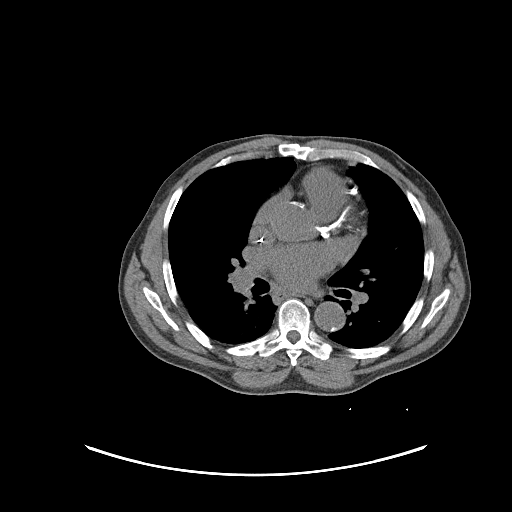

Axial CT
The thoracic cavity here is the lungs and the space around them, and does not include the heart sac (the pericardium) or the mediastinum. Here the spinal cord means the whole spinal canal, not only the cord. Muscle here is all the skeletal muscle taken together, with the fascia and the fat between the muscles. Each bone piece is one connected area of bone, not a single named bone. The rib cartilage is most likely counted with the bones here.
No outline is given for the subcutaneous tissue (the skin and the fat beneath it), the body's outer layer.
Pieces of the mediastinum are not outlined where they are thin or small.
torso: [[262,133],[346,136],[370,140],[395,151],[429,180],[461,234],[471,281],[471,298],[465,318],[455,336],[441,351],[421,363],[349,393],[252,395],[230,390],[202,375],[166,363],[138,341],[119,303],[118,276],[124,248],[155,193],[172,171],[203,148]]
muscle: [[264,137],[287,141],[277,145],[278,155],[265,156],[257,149],[226,155],[210,165],[185,188],[182,184],[179,185],[166,205],[162,229],[167,232],[168,257],[162,260],[162,276],[172,304],[177,307],[179,297],[191,319],[184,321],[190,334],[209,350],[215,347],[213,340],[229,345],[224,351],[238,357],[257,354],[266,358],[283,349],[289,364],[294,367],[303,351],[323,361],[335,350],[340,350],[350,359],[378,358],[392,348],[388,343],[380,344],[382,342],[400,326],[398,335],[401,336],[415,322],[424,305],[424,297],[417,296],[418,293],[423,279],[427,283],[430,281],[434,268],[434,251],[430,247],[424,247],[421,226],[427,221],[418,198],[408,188],[403,191],[377,163],[356,149],[301,144],[323,139],[355,144],[387,160],[426,194],[446,224],[456,247],[465,293],[453,322],[432,346],[410,358],[369,372],[340,388],[320,387],[309,383],[294,371],[271,386],[252,388],[239,385],[224,371],[174,355],[156,345],[146,335],[125,298],[124,277],[132,253],[156,209],[171,186],[192,166],[215,152]]; inner edges: [[144,286],[151,289],[159,296],[160,300],[162,303],[162,305],[166,313],[177,325],[177,326],[179,328],[179,330],[177,331],[173,329],[173,328],[165,320],[165,319],[163,317],[161,313],[157,309],[153,307],[152,305],[148,301],[142,290],[142,288]], then [[445,288],[449,288],[450,289],[450,293],[448,296],[448,298],[445,304],[439,310],[437,311],[437,312],[433,316],[433,317],[430,320],[430,321],[423,328],[420,328],[420,326],[425,316],[430,309],[432,301],[434,299],[434,298],[436,296],[437,296]]
bones 1: [[290,298],[305,304],[311,327],[332,344],[348,348],[388,344],[390,350],[378,357],[356,359],[335,349],[325,360],[303,350],[294,366],[283,348],[266,357],[257,353],[239,356],[227,353],[225,348],[229,346],[247,343],[266,334],[277,321],[278,307]] with a hole at [[292,330],[294,330],[295,331],[297,331],[298,332],[298,333],[299,334],[299,338],[295,342],[292,342],[291,341],[290,341],[287,338],[287,334],[288,333],[288,332],[289,332],[290,331],[291,331]]
bones 2: [[283,142],[296,142],[301,145],[318,148],[336,148],[337,149],[343,148],[350,150],[356,150],[368,156],[382,170],[361,162],[352,164],[349,161],[343,158],[322,158],[317,160],[303,160],[295,158],[292,156],[281,156],[277,152],[277,147],[280,143]]
bones 3: [[144,286],[151,289],[159,296],[160,300],[162,303],[162,305],[166,313],[177,325],[177,326],[179,328],[179,330],[177,331],[173,329],[173,328],[165,320],[165,319],[163,317],[161,313],[157,309],[153,307],[152,305],[148,301],[142,290],[142,288]]
bones 4: [[164,258],[168,258],[170,263],[171,272],[172,273],[173,280],[174,281],[175,287],[178,294],[178,298],[177,299],[177,306],[175,306],[173,304],[166,288],[166,285],[165,284],[165,281],[163,276],[163,268],[162,267],[162,264],[163,263],[163,260]]
bones 5: [[445,288],[449,288],[450,289],[450,293],[448,296],[448,298],[445,304],[439,310],[437,311],[437,312],[433,316],[433,317],[430,320],[430,321],[423,328],[420,328],[420,326],[425,316],[430,309],[432,301],[434,299],[434,298],[436,296],[437,296]]
bones 6: [[417,297],[423,297],[423,305],[421,308],[421,310],[419,314],[417,316],[416,319],[410,326],[410,327],[404,333],[403,333],[401,335],[399,335],[399,332],[401,329],[401,324],[404,318],[406,316],[408,311],[410,309],[411,306],[413,304]]
bones 7: [[255,150],[262,152],[263,155],[261,156],[255,158],[252,158],[251,159],[238,160],[237,161],[234,161],[228,163],[225,165],[221,165],[217,167],[208,168],[226,156],[232,154],[235,154],[236,153],[242,153],[247,151],[254,151]]
bones 8: [[181,185],[182,185],[184,187],[184,189],[171,215],[171,217],[170,218],[170,220],[168,224],[168,228],[167,229],[167,231],[165,231],[163,229],[163,219],[164,218],[164,214],[165,213],[167,205],[169,202],[169,200],[173,192],[179,186]]
bones 9: [[186,320],[192,320],[192,321],[206,335],[207,335],[210,338],[210,339],[214,346],[214,347],[212,349],[209,349],[207,347],[206,347],[205,346],[204,346],[202,344],[201,344],[191,334],[191,333],[188,330],[188,329],[185,324],[185,321]]
bones 10: [[406,189],[408,189],[417,198],[422,208],[422,210],[425,216],[425,220],[426,222],[424,225],[421,225],[421,224],[419,222],[417,218],[417,216],[414,212],[411,206],[411,204],[409,202],[404,192],[404,191]]
bones 11: [[428,248],[430,248],[432,249],[433,251],[433,268],[432,269],[432,272],[431,273],[431,276],[430,277],[430,279],[429,281],[427,282],[424,279],[424,277],[423,276],[423,271],[424,270],[424,253],[425,252],[425,250],[426,250]]
thoracic cavity 1: [[273,155],[292,157],[295,169],[286,182],[269,193],[258,206],[250,224],[247,241],[241,254],[246,266],[276,306],[276,321],[263,335],[247,342],[230,345],[212,340],[193,321],[180,298],[169,259],[169,224],[184,190],[206,170],[238,161]]
thoracic cavity 2: [[358,163],[382,171],[404,193],[420,224],[424,248],[423,278],[414,301],[400,325],[379,344],[369,347],[348,347],[332,343],[326,339],[330,333],[340,330],[346,322],[344,309],[328,280],[354,255],[367,234],[369,211],[364,195],[346,172],[350,167]]
spinal cord: [[292,330],[294,330],[295,331],[297,331],[298,332],[298,333],[299,334],[299,338],[295,342],[292,342],[291,341],[290,341],[287,338],[287,334],[288,333],[288,332],[289,332],[290,331],[291,331]]
mediastinum 1: [[245,261],[258,275],[290,294],[319,300],[328,296],[329,286],[345,314],[345,322],[343,326],[340,329],[330,332],[327,337],[324,337],[312,327],[310,311],[306,304],[300,299],[290,297],[284,300],[277,307]]
mediastinum 2: [[294,158],[295,159],[302,160],[303,161],[317,161],[322,159],[343,159],[349,162],[350,164],[354,165],[350,166],[346,170],[345,172],[346,174],[339,168],[328,162],[314,162],[313,163],[309,163],[295,170],[296,169],[296,164],[295,163],[295,160]]
pericardium: [[314,163],[328,163],[347,175],[362,193],[368,211],[365,236],[361,240],[353,255],[327,280],[327,296],[319,299],[287,292],[265,279],[252,269],[243,257],[242,252],[247,244],[255,214],[262,202],[269,194],[283,186],[295,171],[306,165]]